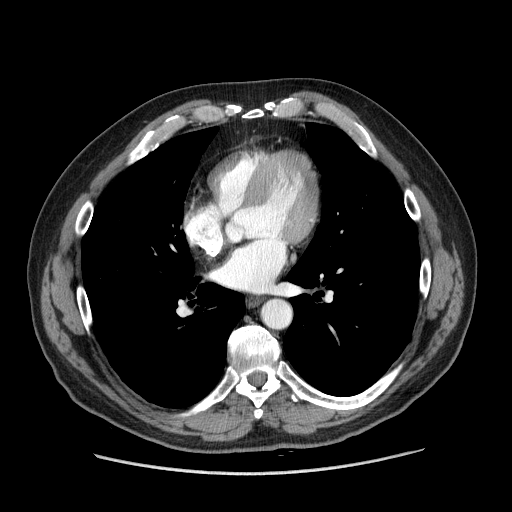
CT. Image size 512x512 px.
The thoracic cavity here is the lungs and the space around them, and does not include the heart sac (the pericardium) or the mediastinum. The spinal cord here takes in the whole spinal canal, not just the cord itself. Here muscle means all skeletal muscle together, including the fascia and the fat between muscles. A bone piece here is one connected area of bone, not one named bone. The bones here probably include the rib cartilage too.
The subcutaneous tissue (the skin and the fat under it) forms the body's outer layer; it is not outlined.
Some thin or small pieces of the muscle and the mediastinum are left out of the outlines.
Outlines (x, y in pixels):
mediastinum 1: (266, 115) (278, 119) (296, 117) (330, 123) (306, 121) (304, 123) (306, 137) (301, 143) (288, 136) (279, 134) (253, 137) (234, 146) (220, 150) (196, 170) (202, 154) (219, 128) (214, 125) (195, 130) (191, 129) (213, 125) (216, 122) (236, 120) (239, 118) (256, 119)
mediastinum 2: (286, 274) (284, 278) (287, 284) (285, 286) (285, 289) (289, 294) (288, 300) (292, 306) (293, 317) (282, 338) (282, 345) (281, 346) (279, 341) (266, 328) (258, 323) (253, 322) (235, 328) (238, 322) (243, 317) (246, 309) (244, 296) (239, 292) (256, 295) (269, 294)
bones 1: (253, 323) (278, 341) (281, 357) (303, 380) (329, 395) (356, 395) (398, 362) (404, 364) (377, 397) (352, 409) (293, 401) (282, 387) (262, 403) (259, 419) (254, 416) (253, 402) (234, 392) (206, 410) (178, 417) (176, 413) (201, 400) (221, 379) (228, 365) (231, 332) with a hole at (257, 371) (258, 371) (259, 372) (262, 372) (263, 373) (264, 373) (266, 376) (266, 379) (265, 380) (264, 383) (259, 387) (257, 387) (256, 386) (255, 386) (254, 385) (251, 384) (249, 382) (249, 380) (248, 379) (248, 377) (252, 373) (253, 373) (254, 372) (256, 372)
bones 2: (290, 96) (307, 104) (320, 101) (337, 106) (365, 128) (377, 150) (377, 159) (329, 119) (306, 114) (278, 118) (266, 111) (256, 118) (235, 115) (224, 121) (189, 124) (125, 166) (129, 152) (145, 133) (169, 116) (187, 114) (195, 107) (209, 104) (233, 103) (246, 111)
bones 3: (79, 283) (81, 283) (83, 285) (83, 287) (87, 296) (87, 299) (88, 300) (88, 303) (91, 312) (92, 325) (90, 328) (90, 331) (91, 332) (90, 335) (87, 333) (85, 329) (80, 314) (80, 311) (78, 307) (77, 300) (76, 299) (76, 286) (77, 284)
bones 4: (87, 199) (90, 199) (94, 204) (93, 213) (92, 214) (92, 216) (91, 217) (91, 219) (90, 220) (89, 225) (87, 228) (87, 230) (81, 237) (78, 237) (76, 235) (76, 233) (75, 232) (75, 222) (76, 221) (76, 218) (77, 217) (78, 212) (79, 211) (81, 206)
bones 5: (425, 256) (427, 256) (430, 260) (430, 264) (431, 265) (431, 280) (430, 281) (430, 284) (429, 285) (429, 289) (427, 293) (427, 296) (425, 299) (423, 299) (422, 297) (422, 295) (419, 292) (419, 278) (420, 277) (420, 266) (421, 265) (421, 261) (422, 259)
bones 6: (405, 187) (409, 187) (413, 192) (413, 193) (416, 198) (416, 200) (417, 201) (417, 203) (419, 206) (419, 210) (420, 211) (420, 221) (419, 222) (415, 222) (409, 216) (409, 215) (406, 210) (406, 208) (405, 207) (405, 204) (404, 203) (404, 200) (403, 199) (403, 190)
torso: (280, 77) (321, 78) (365, 94) (401, 121) (434, 157) (458, 193) (475, 237) (477, 285) (471, 320) (450, 368) (407, 408) (364, 433) (310, 449) (229, 454) (168, 449) (85, 410) (54, 377) (31, 320) (26, 266) (32, 230) (47, 194) (71, 160) (138, 105) (199, 83)
pericardium: (267, 135) (288, 137) (301, 144) (308, 154) (319, 173) (320, 211) (319, 221) (313, 235) (305, 249) (299, 254) (295, 263) (269, 293) (256, 294) (238, 291) (221, 285) (208, 278) (198, 269) (183, 226) (184, 203) (196, 171) (207, 160) (224, 149)
thoracic cavity 1: (214, 126) (218, 129) (201, 154) (186, 192) (182, 226) (195, 270) (206, 280) (241, 294) (245, 309) (227, 338) (227, 365) (215, 386) (186, 408) (167, 408) (147, 401) (130, 388) (111, 366) (100, 345) (83, 284) (82, 237) (88, 230) (95, 205) (126, 167) (177, 132)
thoracic cavity 2: (306, 122) (334, 124) (375, 160) (402, 193) (405, 210) (416, 224) (417, 229) (421, 260) (417, 311) (411, 337) (384, 374) (364, 390) (347, 396) (329, 394) (314, 387) (282, 357) (283, 338) (294, 317) (285, 278) (312, 239) (321, 214) (322, 175) (302, 146) (307, 137)
muscle: (301, 90) (321, 93) (350, 108) (421, 189) (453, 240) (461, 262) (464, 277) (461, 313) (443, 344) (416, 374) (368, 412) (347, 422) (309, 434) (293, 434) (256, 422) (248, 433) (228, 441) (206, 441) (165, 431) (110, 399) (61, 354) (44, 328) (41, 280) (69, 209) (96, 174) (147, 123) (193, 99) (227, 100) (255, 107) (245, 110) (233, 102) (209, 103) (195, 106) (187, 113) (167, 116) (144, 133) (128, 152) (119, 175) (95, 204) (87, 198) (75, 218) (74, 232) (81, 238) (82, 277) (82, 283) (75, 286) (77, 307) (86, 333) (91, 335) (92, 326) (108, 363) (120, 379) (149, 403) (167, 409) (184, 409) (173, 415) (178, 418) (206, 411) (234, 393) (252, 402) (253, 416) (259, 420) (264, 412) (263, 403) (282, 388) (293, 402) (306, 401) (332, 410) (363, 407) (394, 381) (405, 364) (400, 360) (390, 368) (412, 337) (419, 295) (423, 300) (427, 298) (432, 280) (431, 260) (427, 255) (421, 258) (420, 253) (416, 223) (421, 221) (421, 211) (417, 198) (409, 186) (402, 192) (376, 160) (379, 153) (366, 128) (334, 103) (320, 100) (307, 103) (291, 95) (269, 100)
spinal cord: (257, 371) (258, 371) (259, 372) (262, 372) (263, 373) (264, 373) (266, 376) (266, 379) (265, 380) (264, 383) (259, 387) (257, 387) (256, 386) (255, 386) (254, 385) (251, 384) (249, 382) (249, 380) (248, 379) (248, 377) (252, 373) (253, 373) (254, 372) (256, 372)